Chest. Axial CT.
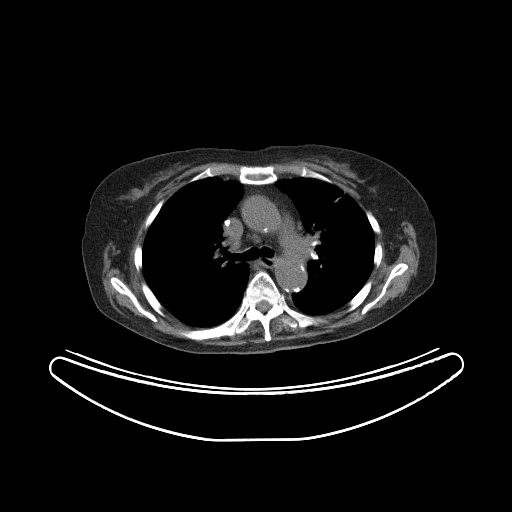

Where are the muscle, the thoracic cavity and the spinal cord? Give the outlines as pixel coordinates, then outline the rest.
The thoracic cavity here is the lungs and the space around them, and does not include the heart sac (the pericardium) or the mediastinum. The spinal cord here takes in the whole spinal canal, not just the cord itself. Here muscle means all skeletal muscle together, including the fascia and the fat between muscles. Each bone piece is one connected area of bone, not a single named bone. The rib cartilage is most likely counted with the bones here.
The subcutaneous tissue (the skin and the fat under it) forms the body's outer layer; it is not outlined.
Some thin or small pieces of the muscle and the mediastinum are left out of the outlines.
{"muscle":[{"outer":[[297,159],[333,170],[366,194],[380,212],[410,222],[416,234],[419,261],[406,291],[363,319],[314,336],[271,340],[270,322],[276,317],[282,316],[282,323],[295,329],[316,326],[324,320],[314,316],[333,312],[346,304],[346,312],[354,310],[369,294],[373,284],[369,276],[374,266],[379,267],[383,256],[382,244],[375,242],[375,234],[381,232],[380,224],[369,209],[364,211],[351,196],[320,172],[305,165],[271,163]],"hole":[[399,263],[405,263],[407,265],[407,268],[401,274],[397,275],[391,279],[386,288],[386,290],[384,294],[381,298],[364,314],[362,314],[361,313],[361,311],[363,307],[366,304],[371,302],[381,292],[383,288],[383,286],[390,274],[391,270],[394,266]]},{"outer":[[215,161],[239,164],[219,163],[210,165],[192,176],[168,199],[165,201],[160,199],[145,218],[144,228],[147,230],[142,246],[138,243],[133,250],[135,269],[138,272],[142,271],[145,280],[141,282],[140,287],[148,304],[160,316],[165,316],[164,307],[182,323],[195,328],[180,329],[178,333],[183,338],[146,328],[118,312],[111,305],[102,283],[104,249],[109,241],[120,238],[140,221],[154,195],[171,180],[189,168]],"hole":[[113,276],[121,280],[130,289],[130,290],[136,297],[140,305],[145,310],[152,313],[157,319],[157,321],[152,321],[149,318],[142,314],[137,309],[137,308],[134,305],[130,298],[127,295],[120,293],[113,287],[110,281],[111,277]]},[[253,321],[258,321],[261,324],[263,328],[263,338],[265,341],[264,342],[261,343],[246,343],[239,345],[213,345],[212,344],[204,344],[201,342],[194,341],[201,341],[207,339],[215,339],[225,336],[230,337],[236,334],[242,334],[248,328],[250,324]]],"thoracic_cavity":[[[215,176],[237,179],[242,185],[239,200],[222,223],[222,235],[228,250],[241,256],[236,258],[235,262],[247,265],[248,281],[238,308],[228,319],[214,326],[196,328],[178,319],[154,294],[146,282],[142,270],[142,247],[149,227],[167,200],[186,184]],[[293,176],[318,179],[336,185],[351,197],[364,212],[374,233],[373,266],[367,280],[345,304],[333,311],[323,314],[306,314],[292,307],[286,298],[290,298],[294,292],[301,291],[308,281],[308,234],[302,223],[300,213],[291,198],[275,185],[279,179]]],"spinal_cord":[[[261,301],[266,301],[269,304],[270,304],[271,305],[271,306],[270,307],[270,308],[269,309],[268,309],[265,312],[262,312],[261,311],[260,311],[258,309],[257,309],[257,308],[256,307],[256,306],[257,305],[257,304],[259,302],[260,302]]],"torso":[[[304,143],[349,148],[381,159],[403,174],[418,190],[433,216],[437,235],[436,273],[427,291],[387,321],[353,337],[260,354],[194,354],[176,350],[134,333],[100,312],[86,279],[81,240],[91,195],[110,172],[145,157],[196,147],[251,150],[270,145]]],"mediastinum":[[[242,184],[274,184],[290,198],[299,213],[307,234],[307,281],[301,290],[294,291],[290,297],[286,297],[280,291],[265,270],[257,271],[249,279],[248,265],[244,262],[236,262],[236,259],[242,256],[231,252],[226,243],[223,235],[223,223],[241,198]]],"bones":[{"outer":[[261,270],[269,274],[292,308],[323,321],[316,325],[292,328],[283,323],[282,315],[276,316],[269,322],[269,341],[265,340],[264,328],[258,320],[253,320],[242,333],[230,336],[192,340],[180,335],[180,330],[210,328],[228,320],[239,308],[249,280]],"hole":[[261,301],[266,301],[269,304],[270,304],[271,305],[271,306],[270,307],[270,308],[269,309],[268,309],[265,312],[262,312],[261,311],[260,311],[258,309],[257,309],[257,308],[256,307],[256,306],[257,305],[257,304],[259,302],[260,302]]},[[219,164],[273,164],[276,166],[305,166],[326,176],[332,181],[332,183],[318,178],[303,177],[289,172],[281,172],[278,170],[275,171],[278,175],[278,179],[274,183],[267,184],[241,183],[235,174],[209,176],[189,182],[189,180],[192,177],[206,168]],[[113,276],[121,280],[130,289],[130,290],[136,297],[140,305],[145,310],[152,313],[157,319],[157,321],[152,321],[149,318],[142,314],[137,309],[137,308],[134,305],[130,298],[127,295],[120,293],[113,287],[110,281],[111,277]],[[399,263],[405,263],[407,265],[407,268],[401,274],[397,275],[391,279],[386,288],[386,290],[384,294],[381,298],[364,314],[362,314],[361,313],[361,311],[363,307],[366,304],[371,302],[381,292],[383,288],[383,286],[390,274],[391,270],[394,266]],[[368,280],[371,280],[372,281],[372,284],[371,285],[370,290],[369,291],[368,294],[364,299],[364,300],[358,306],[357,306],[354,309],[353,309],[350,311],[346,311],[346,310],[348,307],[348,305],[347,304],[347,303],[361,289],[361,288]],[[142,282],[145,282],[147,284],[147,285],[149,287],[149,288],[151,290],[153,294],[163,306],[162,307],[162,310],[164,313],[164,316],[162,316],[160,315],[156,311],[155,311],[147,301],[142,291],[142,288],[141,287],[141,284]],[[160,200],[164,200],[164,203],[160,208],[159,211],[155,216],[154,219],[152,221],[152,222],[150,224],[150,225],[148,227],[148,228],[147,229],[146,229],[145,228],[145,221],[146,220],[146,218],[151,212],[151,211],[154,208],[155,205]],[[138,244],[139,245],[140,245],[142,248],[142,253],[141,254],[141,261],[142,262],[142,266],[141,267],[141,269],[139,271],[138,271],[136,269],[136,267],[135,266],[135,264],[134,263],[134,250],[135,249],[135,247],[136,246],[136,245],[137,245]],[[366,210],[369,210],[373,214],[373,215],[376,218],[376,219],[379,224],[379,227],[380,228],[380,232],[379,233],[375,233],[374,232],[374,231],[373,230],[373,229],[372,228],[372,227],[369,222],[369,220],[368,219],[368,218],[365,213],[365,211]],[[377,242],[379,242],[381,244],[381,246],[382,247],[382,256],[381,257],[381,260],[380,261],[380,263],[379,264],[379,265],[378,266],[378,267],[376,267],[374,265],[374,263],[373,262],[373,260],[374,259],[374,253],[375,252],[375,245]]]}